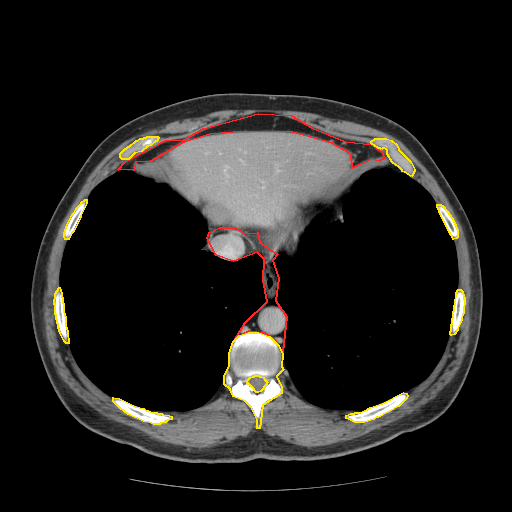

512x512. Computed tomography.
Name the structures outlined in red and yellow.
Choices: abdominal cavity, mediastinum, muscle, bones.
red: mediastinum; yellow: bones.
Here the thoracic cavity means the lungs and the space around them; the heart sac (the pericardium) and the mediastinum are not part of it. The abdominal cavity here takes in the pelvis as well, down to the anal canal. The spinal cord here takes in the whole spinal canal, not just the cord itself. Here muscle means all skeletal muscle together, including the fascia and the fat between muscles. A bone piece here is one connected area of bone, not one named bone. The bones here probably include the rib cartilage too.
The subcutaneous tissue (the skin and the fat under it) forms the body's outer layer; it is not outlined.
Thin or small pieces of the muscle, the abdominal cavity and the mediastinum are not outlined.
mediastinum 1: 258,113 291,115 311,127 345,141 372,144 382,152 383,158 379,161 371,159 352,168 351,154 332,143 292,132 245,131 209,134 181,143 150,161 135,162 133,170 118,169 125,161 164,140 184,139 203,128
mediastinum 2: 219,227 234,227 244,233 257,232 259,242 277,254 272,260 278,278 275,300 286,316 282,352 276,341 265,333 248,331 235,338 245,322 267,301 263,280 264,259 257,252 233,261 216,255 207,238 209,232
bones 1: 248,332 258,332 269,336 278,345 282,354 281,366 283,369 276,376 281,387 281,393 262,405 259,428 257,428 257,419 251,407 245,401 233,396 230,389 224,384 224,375 229,366 229,353 233,341 239,335; inner edge: 255,375 258,375 259,376 261,376 263,377 264,379 267,382 266,384 263,387 263,388 260,391 258,392 256,392 254,390 254,389 248,383 247,383 247,381 248,379 250,377 252,376 254,376
bones 2: 403,392 406,393 407,395 406,398 398,406 378,417 376,417 373,419 364,422 354,422 346,418 346,415 350,413 354,413 355,412 359,412 365,410 370,407 382,403
bones 3: 113,397 119,398 135,406 143,408 146,410 148,410 152,412 156,412 157,413 161,413 162,414 169,415 171,416 171,419 167,420 165,422 160,423 159,424 153,424 149,422 143,421 128,414 120,408 113,401
bones 4: 375,138 386,138 391,140 396,144 398,149 410,161 414,169 414,171 411,176 405,172 402,171 402,170 399,167 392,162 387,154 387,150 386,149 384,148 382,148 381,149 380,148 378,148 371,143 371,141
bones 5: 59,287 61,293 61,296 62,297 62,302 63,303 63,311 65,317 65,325 67,331 68,343 66,343 64,341 60,333 58,327 58,324 57,323 57,320 56,319 56,315 55,314 55,305 54,304 55,293
bones 6: 147,136 157,136 158,137 158,138 156,141 155,141 150,145 147,146 141,151 134,153 128,159 122,159 120,157 120,153 125,148 126,148 128,146 129,146 136,140 137,140 140,138 143,138 144,137 146,137
bones 7: 458,289 460,289 462,291 463,296 464,297 463,313 461,317 461,320 457,328 457,330 454,334 451,335 450,334 450,331 451,330 451,324 452,323 452,318 453,317 453,311 454,310 454,305 455,304 456,292
bones 8: 85,199 86,199 86,203 80,215 80,217 73,231 71,233 68,239 65,239 64,237 64,232 65,231 66,226 72,214 74,212 76,208 81,203 81,202
bones 9: 437,204 440,204 441,205 442,205 444,207 444,208 448,212 448,213 452,218 452,219 455,224 455,226 457,229 457,237 456,238 453,239 452,236 450,234 450,233 449,232 449,231 439,212 439,210 437,207
abdominal cavity: 245,132 292,133 332,144 350,154 352,169 371,160 379,162 383,152 393,164 362,173 331,206 295,214 271,228 244,232 234,226 219,226 209,231 195,208 167,185 135,173 134,165 209,135
thoracic cavity 1: 121,169 132,170 167,186 195,209 207,227 206,243 219,258 233,262 257,253 263,259 262,280 266,301 235,334 222,384 209,400 192,409 157,412 108,394 82,370 69,343 59,280 64,250 89,194 100,182
thoracic cavity 2: 384,167 405,173 430,194 453,240 458,279 449,335 433,369 407,391 359,411 325,408 306,400 282,366 287,316 276,300 279,278 273,260 278,254 291,256 296,252 301,236 321,209 318,207 331,207 362,174
muscle: 257,107 277,108 281,110 294,110 295,111 311,112 322,115 328,118 332,118 336,120 347,120 375,128 400,140 424,165 434,177 448,199 463,228 464,235 467,242 469,260 470,261 470,281 472,290 471,303 470,304 471,309 470,329 471,331 469,338 469,344 459,369 456,372 453,378 438,392 437,395 434,398 422,405 417,410 389,424 384,425 381,428 374,429 368,433 358,437 326,445 307,447 287,442 282,439 268,435 261,431 251,433 246,437 238,437 228,442 208,448 202,448 201,449 191,448 189,449 182,445 176,445 157,440 128,425 120,423 106,417 79,397 59,376 51,360 43,331 42,306 43,305 44,291 46,288 47,282 47,271 46,269 54,239 57,234 59,226 70,206 87,177 93,169 115,147 125,140 135,135 175,120 182,120 186,118 194,118 218,110 226,110 227,109 243,110 248,108 256,108; inner edge: 258,113 291,115 345,141 370,144 386,138 396,144 414,169 411,177 444,207 457,229 461,320 430,373 398,406 368,421 346,418 353,410 309,402 285,368 276,376 280,395 261,407 259,428 251,407 223,382 200,406 159,411 171,416 163,423 143,421 88,377 60,333 54,300 66,226 92,190 127,160 120,153 136,140 158,138 133,159 164,140
torso: 229,92 316,96 381,114 421,142 456,194 477,243 483,289 482,319 474,358 457,397 428,425 338,458 187,463 152,456 93,433 72,417 56,395 36,345 30,291 38,249 57,204 91,152 121,125 181,100
pericardium: 316,208 320,208 320,209 314,215 313,218 300,236 299,245 293,254 287,255 283,252 280,253 275,252 274,253 264,246 258,239 257,237 258,232 261,232 276,227 282,224 287,219 295,215 305,215
spinal cord: 255,375 258,375 259,376 261,376 263,377 264,379 267,382 266,384 263,387 263,388 260,391 258,392 256,392 254,390 254,389 248,383 247,383 247,381 248,379 250,377 252,376 254,376